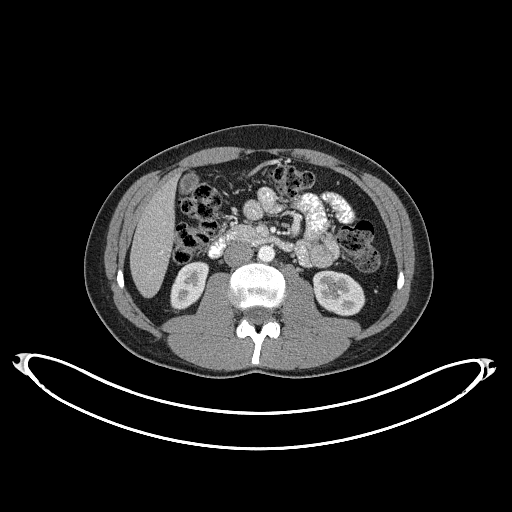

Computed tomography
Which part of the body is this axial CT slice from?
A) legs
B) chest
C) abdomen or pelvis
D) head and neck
C) abdomen or pelvis
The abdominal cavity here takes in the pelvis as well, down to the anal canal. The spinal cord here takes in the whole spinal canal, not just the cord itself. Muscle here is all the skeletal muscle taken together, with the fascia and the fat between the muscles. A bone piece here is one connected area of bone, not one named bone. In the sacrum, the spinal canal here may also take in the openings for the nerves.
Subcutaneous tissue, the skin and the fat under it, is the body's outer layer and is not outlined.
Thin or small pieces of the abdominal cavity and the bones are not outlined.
Outlines (x, y in pixels):
abdominal cavity: [[363,327],[387,306],[395,285],[396,265],[375,205],[346,176],[256,152],[179,172],[154,192],[143,210],[126,254],[124,279],[135,303],[154,323],[193,313],[213,272],[231,273],[244,263],[257,261],[279,269],[292,264],[310,282],[322,314],[353,318]]
bones: [[253,364],[259,362],[259,352],[264,337],[268,335],[276,338],[280,333],[280,325],[272,313],[281,303],[285,294],[283,274],[273,266],[257,262],[238,267],[229,279],[230,299],[242,312],[235,332],[238,337],[250,336],[252,338],[254,350],[251,361]], around a hole outlined by [[254,325],[260,325],[261,324],[266,322],[269,319],[269,318],[271,315],[271,310],[268,308],[266,308],[265,307],[263,307],[262,306],[253,306],[252,307],[250,307],[249,308],[247,308],[246,309],[245,309],[244,310],[244,316],[250,323],[251,323]]
torso: [[208,378],[255,372],[287,378],[327,375],[372,362],[405,338],[429,301],[433,260],[427,229],[417,205],[384,167],[356,150],[307,131],[274,124],[242,124],[168,147],[138,164],[113,187],[96,214],[86,242],[84,283],[89,300],[108,331],[134,355]]
spinal cord: [[254,325],[260,325],[261,324],[266,322],[269,319],[269,318],[271,315],[271,310],[268,308],[266,308],[265,307],[263,307],[262,306],[253,306],[252,307],[250,307],[249,308],[247,308],[246,309],[245,309],[244,310],[244,316],[250,323],[251,323]]
muscle: [[227,371],[242,369],[250,366],[283,370],[319,366],[340,356],[355,342],[381,331],[399,316],[405,308],[409,298],[410,285],[414,273],[415,251],[412,228],[408,214],[397,195],[384,182],[369,173],[354,169],[331,155],[316,150],[304,148],[255,149],[235,146],[221,146],[200,150],[162,169],[147,173],[136,180],[127,189],[112,215],[107,232],[103,256],[105,274],[117,309],[135,326],[162,340],[180,358],[201,367]], around a hole outlined by [[253,364],[264,337],[280,333],[272,313],[285,294],[281,265],[310,282],[322,314],[363,327],[404,283],[361,188],[333,170],[266,152],[186,169],[161,186],[116,278],[160,324],[193,313],[209,276],[229,272],[230,299],[242,312],[235,332],[252,338]]